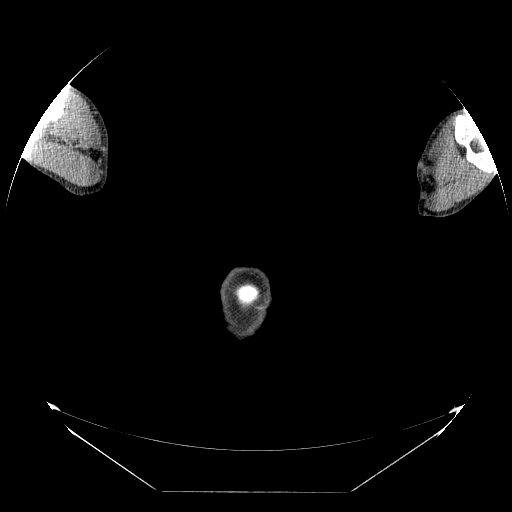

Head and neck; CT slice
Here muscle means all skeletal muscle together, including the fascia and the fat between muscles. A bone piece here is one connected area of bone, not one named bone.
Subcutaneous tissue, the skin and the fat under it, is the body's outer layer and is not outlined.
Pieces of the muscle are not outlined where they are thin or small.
The bones appear in 3 outlined pieces: piece 1: 463 107; 465 108; 471 116; 475 124; 479 129; 491 153; 496 166; 496 169; 491 173; 487 173; 482 171; 472 163; 469 162; 465 157; 465 148; 457 143; 455 140; 454 136; 454 124; 453 123; 454 122; 454 118; 457 114; 462 111; piece 2: 58 93; 62 96; 64 100; 64 104; 65 105; 64 113; 63 114; 63 117; 62 119; 58 121; 56 121; 53 123; 51 122; 41 122; 40 121; 38 121; 40 119; 41 116; 45 110; 48 107; 54 98; 58 94; piece 3: 243 282; 248 282; 249 283; 251 283; 255 285; 260 289; 260 293; 259 294; 259 297; 257 299; 255 303; 253 303; 252 304; 245 304; 240 301; 236 300; 236 298; 235 297; 235 294; 234 293; 234 290; 236 286; 238 284; 240 284. The muscle appears in 3 outlined pieces: piece 1: 65 86; 73 90; 85 100; 98 125; 100 132; 101 147; 98 154; 97 175; 95 177; 95 181; 87 185; 80 185; 70 182; 55 173; 39 166; 22 155; 24 147; 38 122; 53 124; 63 119; 66 105; 63 96; 59 92; piece 2: 455 114; 452 123; 453 136; 455 142; 464 148; 465 159; 482 172; 491 174; 497 169; 497 174; 492 176; 476 193; 454 207; 445 211; 434 212; 427 209; 423 205; 423 178; 421 168; 426 159; 432 142; 438 135; 443 125; 451 116; piece 3: 240 273; 256 274; 266 288; 265 289; 265 295; 264 296; 263 307; 253 322; 254 323; 247 329; 245 328; 242 328; 234 320; 230 307; 229 306; 229 304; 228 303; 228 301; 227 300; 227 293; 228 292; 228 288; 229 287; 230 279 with a hole at 243 282; 248 282; 249 283; 251 283; 255 285; 260 289; 260 293; 259 294; 259 297; 257 299; 255 303; 253 303; 252 304; 245 304; 240 301; 236 300; 236 298; 235 297; 235 294; 234 293; 234 290; 236 286; 238 284; 240 284. The left arm is outlined by 461 104; 471 116; 479 129; 495 163; 497 169; 497 176; 496 175; 494 176; 490 183; 474 199; 458 212; 444 217; 434 217; 433 216; 421 215; 417 211; 417 202; 420 193; 420 185; 416 176; 417 162; 433 128; 448 113; 460 108. The right arm is outlined by 68 83; 73 87; 75 87; 81 90; 92 100; 102 116; 108 136; 107 175; 106 176; 105 183; 99 190; 84 195; 78 195; 68 191; 56 181; 36 170; 31 166; 24 158; 21 157; 24 147; 41 116; 62 88. The head and neck is outlined by 239 265; 260 268; 269 279; 269 283; 271 287; 270 307; 268 310; 265 321; 258 332; 251 339; 245 342; 237 341; 232 336; 230 332; 226 329; 226 323; 220 296; 220 286; 225 276; 234 266; 238 266.